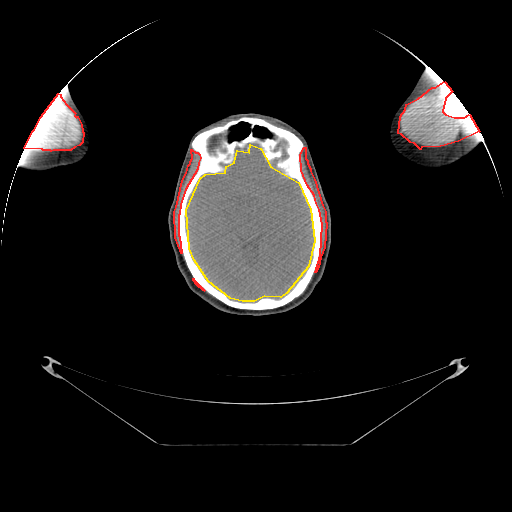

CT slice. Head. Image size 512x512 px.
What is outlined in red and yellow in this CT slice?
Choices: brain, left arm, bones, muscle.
red: muscle; yellow: brain.
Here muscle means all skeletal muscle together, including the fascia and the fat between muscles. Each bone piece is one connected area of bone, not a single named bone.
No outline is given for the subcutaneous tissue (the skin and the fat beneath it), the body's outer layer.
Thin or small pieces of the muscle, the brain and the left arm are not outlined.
The muscle appears in 5 outlined pieces: piece 1: 444 81; 452 91; 445 98; 442 111; 445 114; 454 117; 464 117; 469 114; 479 131; 458 141; 440 146; 421 147; 420 149; 414 143; 410 142; 401 134; 398 133; 400 116; 405 109; 406 104; 418 98; 432 87; 435 87; piece 2: 58 93; 60 94; 60 96; 66 104; 75 113; 74 115; 76 117; 77 116; 81 124; 82 131; 83 132; 82 142; 79 145; 74 147; 70 150; 53 150; 51 151; 50 150; 43 150; 42 149; 24 148; 32 131; 34 129; 41 116; piece 3: 304 147; 305 147; 305 158; 307 160; 307 163; 310 168; 310 171; 314 179; 322 205; 325 211; 325 221; 326 222; 324 247; 320 257; 318 267; 315 272; 320 255; 322 224; 319 209; 316 203; 314 195; 307 185; 301 170; 300 154; piece 4: 191 149; 195 152; 197 152; 199 154; 200 158; 198 162; 197 169; 185 189; 180 204; 179 214; 178 215; 178 235; 179 236; 181 253; 175 237; 174 211; 176 207; 182 180; 186 173; 188 165; 190 163; 190 161; 192 158; piece 5: 193 278; 193 279; 204 290; 203 290; 200 287; 199 287; 195 283; 195 282; 193 280. The brain is outlined by 250 144; 260 148; 270 166; 298 182; 310 209; 314 240; 308 266; 286 293; 280 297; 264 296; 254 301; 242 301; 230 298; 208 281; 194 260; 189 248; 186 210; 200 178; 205 174; 225 172; 226 166; 234 162; 237 150; 249 152. The left arm is outlined by 426 68; 430 68; 433 70; 445 82; 463 104; 477 126; 484 141; 470 153; 462 157; 459 160; 457 160; 447 166; 443 166; 438 168; 422 167; 406 159; 395 150; 390 141; 389 137; 390 123; 396 110; 410 93; 420 74. The head is outlined by 247 112; 256 112; 276 117; 297 129; 304 136; 308 143; 331 215; 331 244; 321 279; 312 293; 302 303; 290 310; 268 315; 239 315; 224 312; 213 307; 192 292; 177 267; 169 239; 167 222; 178 174; 192 135; 202 127; 227 115; inner edges: 241 123; 244 123; 245 124; 247 124; 248 125; 248 127; 249 128; 249 131; 248 132; 247 135; 240 139; 233 139; 232 140; 229 140; 229 137; 230 136; 230 134; 231 133; 231 129; 232 128; 232 127; 233 127; 234 126; 237 126, then 257 127; 258 127; 259 128; 263 128; 264 129; 265 129; 269 133; 269 134; 270 135; 269 136; 260 136; 259 135; 255 135; 254 134; 254 130; 255 129; 255 128; 256 128. The right arm is outlined by 62 89; 68 90; 74 102; 83 115; 87 123; 89 129; 89 134; 90 135; 89 149; 86 155; 80 161; 70 165; 59 166; 41 171; 35 171; 34 170; 26 169; 19 165; 25 145; 41 116; 52 100. The bones appear in 2 outlined pieces: piece 1: 240 117; 264 119; 291 131; 302 141; 304 146; 299 154; 300 170; 313 195; 321 224; 318 260; 308 285; 299 296; 288 303; 270 309; 240 309; 217 299; 194 279; 181 250; 179 235; 181 204; 201 158; 200 154; 190 144; 199 133, around holes outlined by 250 144; 260 148; 270 166; 298 182; 310 209; 314 240; 308 266; 286 293; 280 297; 264 296; 254 301; 242 301; 230 298; 208 281; 194 260; 189 248; 186 210; 200 178; 205 174; 225 172; 226 166; 234 162; 237 150; 249 152 and by 241 123; 244 123; 248 125; 249 131; 246 136; 240 139; 233 139; 232 140; 224 138; 220 142; 219 145; 216 146; 210 151; 209 149; 209 140; 211 137; 215 135; 220 135; 221 134; 227 135; 229 137; 231 133; 232 127; 237 126 and by 257 127; 258 127; 259 128; 263 128; 264 129; 265 129; 269 133; 269 134; 270 135; 269 136; 260 136; 259 135; 255 135; 254 134; 254 130; 255 129; 255 128; 256 128; piece 2: 452 92; 453 92; 455 94; 455 95; 463 104; 464 107; 469 113; 468 113; 464 116; 454 116; 453 115; 450 115; 449 114; 447 114; 443 111; 443 107; 444 106; 444 103; 445 102; 445 100; 446 99; 446 98.